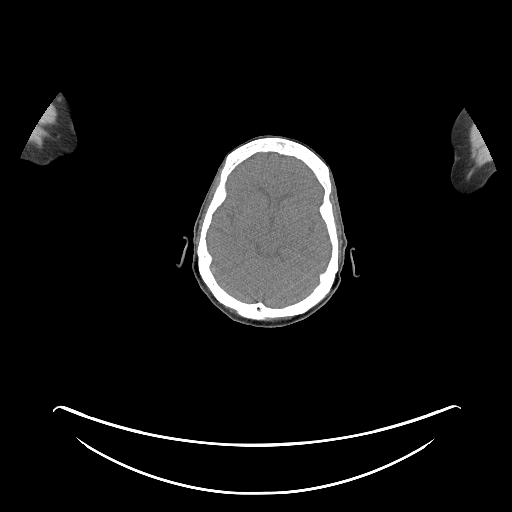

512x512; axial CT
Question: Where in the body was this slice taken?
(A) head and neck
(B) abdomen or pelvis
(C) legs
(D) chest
Answer: (A) head and neck
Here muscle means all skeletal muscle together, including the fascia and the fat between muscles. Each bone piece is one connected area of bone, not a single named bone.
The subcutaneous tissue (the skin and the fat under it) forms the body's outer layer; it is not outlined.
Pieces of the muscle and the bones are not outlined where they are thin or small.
Outlines (x, y in pixels):
head 1: (264, 134) (297, 139) (309, 146) (325, 160) (335, 181) (337, 198) (347, 239) (343, 267) (341, 270) (341, 280) (335, 293) (322, 307) (307, 318) (281, 327) (257, 327) (231, 319) (215, 307) (200, 289) (191, 268) (194, 222) (218, 166) (226, 154) (236, 146) (255, 136)
head 2: (184, 235) (186, 235) (188, 237) (188, 244) (184, 252) (184, 258) (183, 259) (183, 262) (182, 263) (182, 265) (180, 267) (177, 267) (175, 264) (177, 263) (181, 259) (181, 256) (183, 253) (183, 251) (185, 248) (185, 245) (186, 244) (186, 242) (183, 238) (183, 236)
head 3: (351, 247) (353, 247) (354, 248) (352, 252) (352, 258) (353, 259) (353, 262) (354, 263) (354, 270) (355, 272) (359, 275) (358, 277) (355, 277) (353, 275) (353, 266) (352, 265) (352, 263) (351, 262) (351, 259) (349, 255) (349, 249)
brain: (257, 153) (277, 153) (296, 158) (311, 170) (323, 190) (318, 212) (330, 244) (327, 264) (319, 273) (317, 284) (306, 296) (280, 307) (268, 306) (261, 301) (246, 302) (226, 291) (211, 269) (213, 258) (207, 245) (207, 233) (213, 215) (228, 194) (229, 175) (239, 164)
left arm: (463, 108) (466, 111) (477, 128) (495, 167) (495, 172) (480, 188) (473, 191) (471, 193) (468, 193) (467, 194) (458, 192) (453, 187) (450, 180) (450, 172) (453, 162) (453, 152) (450, 146) (450, 132) (452, 125) (457, 115) (461, 109)
right arm: (59, 93) (62, 93) (65, 96) (71, 106) (73, 124) (77, 136) (77, 147) (76, 149) (66, 159) (60, 157) (52, 161) (47, 165) (38, 165) (30, 161) (22, 159) (21, 155) (27, 142) (30, 139) (30, 137) (32, 135) (36, 126) (46, 110) (48, 109) (53, 100)
bones: (269, 136) (287, 138) (304, 145) (328, 166) (331, 180) (329, 200) (337, 233) (338, 269) (328, 293) (307, 311) (292, 316) (257, 320) (237, 314) (233, 308) (225, 306) (214, 297) (200, 276) (197, 265) (197, 246) (203, 220) (220, 181) (220, 172) (227, 154) (251, 140), around a hole outlined by (257, 153) (277, 153) (296, 158) (311, 170) (323, 190) (318, 212) (330, 244) (327, 264) (319, 273) (317, 284) (306, 296) (280, 307) (268, 306) (261, 301) (246, 302) (226, 291) (211, 269) (213, 258) (207, 245) (207, 233) (213, 215) (228, 194) (229, 175) (239, 164)
muscle 1: (473, 122) (477, 128) (487, 148) (487, 150) (489, 153) (489, 155) (491, 157) (491, 159) (467, 181) (465, 179) (466, 170) (468, 168) (467, 167) (467, 163) (468, 162) (468, 155) (469, 154) (469, 145) (468, 144) (467, 132) (468, 131) (468, 128)
muscle 2: (52, 102) (56, 106) (56, 109) (58, 111) (56, 114) (56, 123) (53, 128) (53, 131) (51, 133) (52, 134) (51, 136) (47, 140) (47, 141) (45, 142) (43, 146) (40, 148) (37, 148) (32, 145) (30, 145) (27, 142) (30, 139) (30, 137) (32, 135) (36, 126)
muscle 3: (332, 184) (334, 202) (336, 206) (336, 211) (338, 216) (338, 221) (340, 226) (341, 239) (342, 240) (342, 244) (341, 245) (341, 256) (339, 259) (339, 261) (338, 233) (337, 232) (337, 227) (336, 226) (336, 222) (333, 212) (333, 206) (330, 200) (330, 195) (332, 192)
muscle 4: (219, 172) (219, 181) (213, 192) (212, 197) (206, 208) (202, 220) (202, 223) (200, 227) (200, 233) (199, 234) (197, 245) (196, 244) (196, 238) (197, 237) (197, 231) (198, 230) (199, 222) (201, 219) (201, 216) (207, 203) (210, 192) (214, 185) (214, 183) (217, 178)